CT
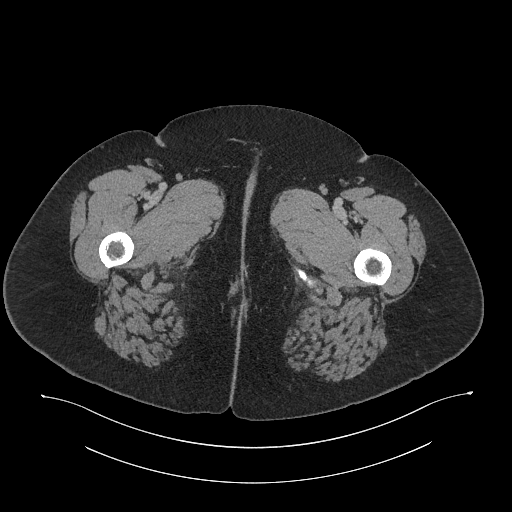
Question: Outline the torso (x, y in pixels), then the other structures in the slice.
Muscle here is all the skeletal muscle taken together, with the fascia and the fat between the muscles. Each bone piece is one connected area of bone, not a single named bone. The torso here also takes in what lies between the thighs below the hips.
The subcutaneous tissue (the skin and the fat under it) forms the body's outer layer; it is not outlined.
Answer: {"torso":[[[233,104],[269,105],[293,109],[313,115],[349,134],[360,144],[366,153],[341,165],[305,172],[297,175],[280,177],[250,185],[244,185],[243,182],[238,178],[207,165],[203,165],[176,151],[167,145],[161,139],[158,133],[168,122],[180,115],[214,106]]],"muscle":[{"outer":[[366,185],[389,192],[415,213],[425,237],[426,253],[412,289],[387,306],[389,343],[385,351],[353,378],[324,381],[308,372],[294,371],[280,348],[298,312],[299,298],[290,266],[271,233],[269,212],[275,195],[287,188],[307,188],[329,199],[345,188]],"holes":[[[367,247],[370,247],[374,249],[381,250],[387,254],[391,260],[392,266],[391,267],[391,272],[390,273],[390,275],[387,280],[382,285],[371,284],[365,281],[363,281],[359,279],[354,273],[354,269],[353,268],[353,261],[358,252],[360,250]],[[296,267],[299,267],[300,268],[303,269],[308,275],[309,275],[315,280],[315,283],[314,284],[314,285],[312,287],[310,287],[309,286],[308,286],[307,285],[307,284],[304,281],[303,281],[298,276],[297,273],[295,271],[295,268]]]},{"outer":[[138,163],[153,168],[172,182],[189,178],[212,180],[225,194],[221,223],[214,236],[198,251],[179,298],[189,333],[187,341],[176,356],[157,369],[119,357],[97,337],[92,327],[96,287],[76,272],[69,257],[69,219],[77,193],[91,178],[114,166]],"hole":[[115,231],[124,231],[126,232],[131,237],[134,244],[133,254],[131,258],[125,263],[121,264],[120,265],[118,265],[117,266],[114,266],[110,268],[107,268],[101,261],[99,257],[99,254],[98,253],[98,248],[99,247],[99,244],[101,240],[106,235]]}],"left_leg":[[[367,153],[387,155],[401,162],[434,195],[455,224],[480,279],[484,298],[481,327],[472,342],[453,359],[401,387],[369,400],[329,412],[289,419],[238,418],[233,414],[230,402],[237,366],[239,321],[246,282],[244,234],[247,191],[245,186],[341,166]]],"right_leg":[[[135,129],[157,133],[160,139],[176,152],[203,166],[238,179],[246,191],[243,234],[245,282],[238,321],[237,358],[229,408],[219,414],[171,411],[120,395],[76,377],[28,345],[15,331],[6,312],[3,277],[9,254],[46,193],[83,153],[116,134]]],"bones":[[[367,247],[370,247],[374,249],[381,250],[387,254],[391,260],[392,266],[391,267],[391,272],[390,273],[390,275],[387,280],[382,285],[371,284],[365,281],[363,281],[359,279],[354,273],[354,269],[353,268],[353,261],[358,252],[360,250]],[[115,231],[124,231],[126,232],[131,237],[134,244],[133,254],[131,258],[125,263],[121,264],[120,265],[118,265],[117,266],[114,266],[110,268],[107,268],[101,261],[99,257],[99,254],[98,253],[98,248],[99,247],[99,244],[101,240],[106,235]],[[296,267],[299,267],[300,268],[303,269],[308,275],[309,275],[315,280],[315,283],[314,284],[314,285],[312,287],[310,287],[309,286],[308,286],[307,285],[307,284],[304,281],[303,281],[298,276],[297,273],[295,271],[295,268]]]}